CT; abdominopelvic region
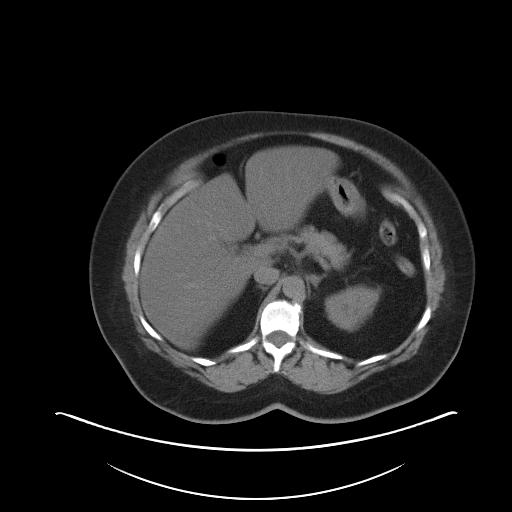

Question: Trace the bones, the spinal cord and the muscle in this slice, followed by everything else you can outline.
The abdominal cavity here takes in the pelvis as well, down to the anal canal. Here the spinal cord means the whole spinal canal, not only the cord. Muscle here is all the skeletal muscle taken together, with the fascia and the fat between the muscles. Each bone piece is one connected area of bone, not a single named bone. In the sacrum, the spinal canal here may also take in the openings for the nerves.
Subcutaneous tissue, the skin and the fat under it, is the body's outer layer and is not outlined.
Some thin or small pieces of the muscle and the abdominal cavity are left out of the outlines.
Answer: The bones appear in 11 outlined pieces: piece 1: [[277,299],[285,299],[298,303],[301,306],[301,313],[296,335],[296,345],[292,351],[282,359],[279,371],[273,372],[274,358],[265,351],[260,339],[249,349],[233,353],[228,353],[227,350],[245,343],[255,336],[259,337],[261,335],[261,312],[266,304]] with a hole at [[279,330],[280,331],[283,331],[284,332],[285,332],[288,335],[288,336],[289,337],[289,340],[288,340],[286,342],[285,342],[282,345],[281,345],[280,346],[276,346],[272,342],[271,342],[268,340],[268,336],[272,332],[273,332],[274,331],[278,331]]; piece 2: [[390,192],[393,192],[398,194],[404,198],[413,207],[417,215],[420,218],[426,228],[426,230],[427,231],[427,237],[426,239],[424,240],[420,240],[416,223],[409,215],[406,210],[404,209],[404,208],[399,203],[395,201],[392,198],[390,195]]; piece 3: [[300,340],[303,340],[306,342],[308,342],[315,347],[317,347],[320,349],[325,349],[326,350],[329,350],[330,351],[338,353],[342,355],[343,356],[343,358],[342,359],[334,359],[333,358],[322,356],[316,353],[314,353],[303,347],[300,343]]; piece 4: [[161,204],[163,204],[163,210],[164,211],[164,213],[163,214],[159,223],[157,225],[157,226],[155,228],[155,229],[151,233],[148,233],[147,232],[147,229],[148,228],[148,225],[149,224],[149,222],[152,217],[152,215]]; piece 5: [[190,180],[192,180],[193,181],[193,183],[187,189],[187,190],[179,198],[178,198],[173,203],[171,203],[171,202],[170,201],[169,201],[169,198],[170,197],[170,196],[177,189],[178,189],[180,187],[181,187],[185,182],[186,182],[187,181],[189,181]]; piece 6: [[427,306],[429,306],[431,309],[431,313],[430,314],[430,318],[429,319],[429,320],[427,322],[427,323],[421,329],[420,329],[416,332],[413,331],[414,330],[414,328],[420,320],[420,319],[422,316],[422,314],[423,313],[425,308]]; piece 7: [[140,314],[142,314],[143,315],[147,322],[153,328],[153,329],[155,330],[155,331],[158,334],[159,334],[159,335],[163,339],[162,340],[158,340],[154,338],[148,333],[148,332],[145,329],[145,328],[141,323],[141,321],[139,318],[139,315]]; piece 8: [[139,246],[140,246],[141,247],[141,259],[140,260],[140,265],[139,266],[139,273],[138,274],[138,275],[137,276],[136,276],[135,275],[135,274],[134,273],[134,269],[133,268],[133,260],[134,259],[134,255],[135,254],[135,251],[136,250],[136,249]]; piece 9: [[383,353],[386,353],[387,354],[387,356],[385,358],[383,358],[382,359],[377,360],[374,362],[371,362],[367,364],[364,364],[360,366],[357,366],[356,365],[356,363],[361,360],[366,359],[374,355],[377,355],[378,354],[382,354]]; piece 10: [[425,246],[426,246],[428,249],[428,251],[429,252],[429,257],[430,258],[430,267],[429,268],[429,271],[428,272],[427,272],[424,270],[424,265],[423,264],[423,261],[422,260],[422,256],[421,255],[421,252],[422,251],[422,250],[423,249],[423,248]]; piece 11: [[191,356],[196,356],[197,357],[203,357],[204,358],[208,358],[209,359],[211,359],[212,360],[215,361],[216,362],[216,363],[215,364],[213,364],[212,365],[208,365],[207,366],[204,366],[203,365],[202,365],[201,364],[192,360],[190,357]]. The spinal cord is outlined by [[279,330],[280,331],[283,331],[284,332],[285,332],[288,335],[288,336],[289,337],[289,340],[288,340],[286,342],[285,342],[282,345],[281,345],[280,346],[276,346],[272,342],[271,342],[268,340],[268,336],[272,332],[273,332],[274,331],[278,331]]. The muscle is outlined by [[273,130],[300,130],[301,131],[313,131],[314,132],[317,131],[318,132],[332,133],[340,136],[343,136],[358,143],[363,144],[388,158],[401,169],[409,179],[415,190],[419,194],[424,203],[427,206],[435,225],[439,241],[442,246],[442,263],[445,269],[446,278],[444,282],[444,290],[440,302],[440,307],[434,317],[431,326],[425,334],[416,354],[407,360],[402,361],[395,365],[390,366],[383,370],[371,374],[363,380],[345,390],[333,394],[322,394],[311,390],[304,389],[299,385],[294,384],[284,376],[275,373],[270,374],[266,378],[260,380],[257,383],[250,385],[242,390],[235,392],[224,392],[208,386],[195,377],[192,377],[185,373],[178,367],[174,366],[168,360],[163,358],[160,355],[150,350],[145,346],[144,343],[140,339],[135,328],[133,318],[129,308],[129,302],[126,298],[126,293],[124,289],[124,282],[121,278],[126,253],[126,242],[142,209],[147,204],[150,195],[164,183],[167,176],[181,162],[200,151],[225,142],[232,138],[245,135],[249,133],[261,132],[262,131],[272,131]], around a hole outlined by [[277,135],[307,136],[369,158],[395,179],[387,187],[413,207],[426,228],[427,237],[419,241],[419,248],[421,252],[426,246],[430,258],[429,271],[423,271],[425,306],[431,309],[430,318],[421,329],[412,330],[388,351],[385,358],[357,366],[360,359],[345,355],[334,359],[314,353],[300,343],[303,340],[320,347],[301,331],[301,316],[296,345],[282,359],[278,372],[273,372],[274,358],[265,351],[260,339],[243,351],[226,350],[211,358],[215,364],[204,366],[164,339],[154,338],[141,323],[139,315],[143,312],[133,260],[139,246],[141,254],[144,252],[154,212],[163,204],[165,213],[173,204],[170,196],[185,182],[194,183],[201,177],[198,167],[208,157],[250,140]]. The abdominal cavity is outlined by [[277,135],[351,149],[395,179],[389,195],[413,220],[419,238],[425,307],[393,349],[356,359],[322,348],[301,331],[302,306],[285,298],[263,306],[249,340],[211,358],[174,348],[144,316],[138,276],[146,244],[167,210],[201,177],[199,165],[221,150]]. The torso is outlined by [[240,110],[330,114],[375,123],[421,150],[452,185],[474,242],[474,295],[455,358],[423,395],[342,423],[312,422],[273,409],[243,421],[208,424],[183,419],[153,405],[131,383],[104,340],[92,309],[88,258],[96,220],[120,174],[154,140],[194,119]].